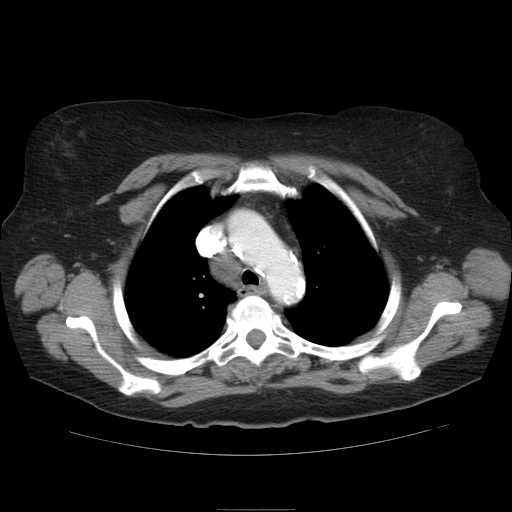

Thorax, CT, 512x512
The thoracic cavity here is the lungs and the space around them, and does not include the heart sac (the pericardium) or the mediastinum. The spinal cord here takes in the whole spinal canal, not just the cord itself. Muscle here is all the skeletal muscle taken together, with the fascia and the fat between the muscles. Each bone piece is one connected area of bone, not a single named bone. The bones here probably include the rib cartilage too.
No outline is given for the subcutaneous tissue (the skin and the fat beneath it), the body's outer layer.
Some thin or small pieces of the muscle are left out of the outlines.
{"bones":[{"outer":[[395,270],[401,278],[400,300],[371,354],[416,338],[438,302],[461,303],[459,312],[441,316],[420,342],[414,358],[421,372],[413,380],[402,379],[389,367],[363,373],[360,357],[328,360],[304,352],[295,359],[272,353],[259,367],[244,356],[222,366],[211,360],[179,375],[155,372],[135,358],[177,359],[200,352],[225,330],[230,308],[252,295],[264,299],[285,326],[306,340],[330,347],[362,342],[375,335]],"hole":[[254,329],[256,329],[257,330],[259,330],[260,331],[261,331],[264,334],[264,335],[265,336],[265,338],[264,339],[264,340],[262,342],[262,343],[258,347],[253,347],[247,341],[247,340],[246,339],[246,338],[247,337],[247,335],[252,330],[253,330]]},[[252,160],[257,160],[267,164],[274,172],[280,182],[288,186],[294,186],[298,190],[293,197],[292,198],[282,198],[272,192],[260,190],[246,191],[242,193],[232,193],[228,195],[219,194],[217,191],[230,185],[234,181],[237,177],[241,166],[245,162]],[[81,315],[87,316],[92,321],[101,347],[115,361],[133,374],[157,379],[161,390],[156,394],[149,391],[140,391],[131,395],[118,391],[117,387],[122,381],[121,373],[97,351],[91,336],[85,329],[81,327],[71,328],[65,323],[67,316],[76,317]],[[293,163],[311,164],[314,165],[319,170],[322,171],[332,178],[343,188],[354,201],[355,204],[369,224],[378,245],[378,252],[376,252],[374,250],[367,237],[362,230],[360,225],[346,206],[323,186],[310,181],[304,173],[297,171],[292,167],[292,164]],[[205,167],[220,168],[223,170],[222,175],[219,177],[209,179],[203,184],[197,185],[196,186],[192,186],[183,189],[172,196],[159,210],[145,236],[142,239],[142,235],[145,229],[146,224],[153,210],[168,190],[178,180],[187,173],[192,170],[204,168]],[[116,276],[118,277],[121,284],[121,287],[123,292],[123,299],[124,300],[125,308],[129,317],[129,319],[137,334],[137,338],[139,341],[139,347],[135,346],[126,336],[120,327],[114,312],[114,309],[113,308],[113,298],[112,297],[112,284],[114,278]]],"muscle":[[[169,152],[244,159],[306,152],[357,164],[420,216],[398,221],[390,232],[409,290],[476,247],[498,251],[511,266],[508,296],[493,307],[487,338],[476,349],[422,370],[415,358],[421,342],[441,317],[462,309],[458,300],[440,300],[416,337],[371,353],[398,309],[400,272],[395,269],[389,282],[370,224],[332,177],[314,164],[293,162],[291,167],[311,182],[298,189],[280,181],[267,163],[252,159],[218,190],[205,183],[222,176],[223,169],[192,169],[152,210],[123,291],[119,277],[113,278],[112,308],[135,347],[140,347],[139,335],[169,358],[134,358],[150,371],[179,376],[211,361],[222,367],[244,357],[259,368],[272,354],[295,360],[304,353],[328,361],[360,358],[357,368],[363,374],[389,368],[408,381],[371,384],[350,394],[264,387],[166,407],[128,396],[158,394],[159,380],[125,369],[102,347],[85,314],[67,315],[64,323],[85,330],[96,351],[120,373],[117,391],[86,369],[53,358],[15,298],[19,272],[41,253],[104,270],[116,258],[124,226],[117,203],[95,201],[144,160]],[[374,327],[374,335],[373,335],[372,336],[369,337],[367,339],[365,339],[362,341],[359,341],[358,342],[354,342],[353,343],[352,343],[358,337],[359,337],[361,335],[364,334],[366,332],[369,331],[372,328],[373,328]]],"thoracic_cavity":[[[204,184],[221,196],[238,194],[226,209],[212,217],[199,230],[194,242],[197,253],[206,259],[213,278],[233,290],[236,299],[227,306],[224,330],[213,342],[191,355],[170,358],[156,350],[137,333],[125,304],[126,279],[140,243],[163,206],[179,192]],[[310,183],[323,187],[349,211],[373,250],[378,253],[381,258],[389,283],[384,307],[374,326],[348,344],[330,346],[306,339],[290,328],[284,312],[285,309],[296,307],[306,294],[306,274],[302,249],[290,222],[285,201],[286,199],[292,199],[299,190]]],"mediastinum":[[[257,191],[272,193],[285,199],[287,216],[301,249],[305,294],[296,306],[284,309],[289,328],[282,317],[259,295],[247,295],[228,310],[228,306],[237,299],[236,292],[214,278],[207,259],[198,253],[195,243],[200,230],[212,218],[226,210],[239,194]]],"spinal_cord":[[[254,329],[256,329],[257,330],[259,330],[260,331],[261,331],[264,334],[264,335],[265,336],[265,338],[264,339],[264,340],[262,342],[262,343],[258,347],[253,347],[247,341],[247,340],[246,339],[246,338],[247,337],[247,335],[252,330],[253,330]]],"torso":[[[129,98],[249,117],[380,104],[423,111],[456,127],[475,154],[486,195],[508,219],[511,239],[507,303],[481,377],[403,409],[264,428],[217,424],[202,428],[130,419],[31,378],[8,321],[0,272],[2,224],[21,192],[25,145],[38,121],[59,107]]]}